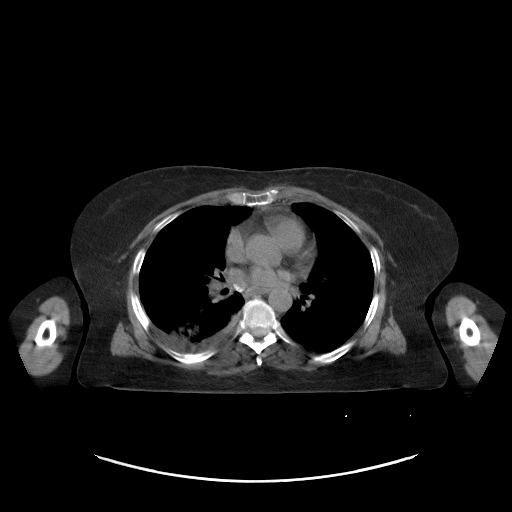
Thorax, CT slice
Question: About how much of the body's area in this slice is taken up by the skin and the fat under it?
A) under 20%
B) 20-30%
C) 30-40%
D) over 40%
Answer: D) over 40%
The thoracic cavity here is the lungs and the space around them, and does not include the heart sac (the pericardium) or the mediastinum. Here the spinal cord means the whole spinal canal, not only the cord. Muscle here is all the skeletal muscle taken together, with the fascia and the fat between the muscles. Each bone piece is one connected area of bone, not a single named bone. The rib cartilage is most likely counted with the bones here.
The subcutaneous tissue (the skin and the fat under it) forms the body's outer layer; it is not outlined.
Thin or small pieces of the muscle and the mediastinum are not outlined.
spinal cord: (255, 328) (261, 328) (263, 330) (263, 331) (265, 333) (265, 334) (260, 339) (256, 339) (253, 336) (253, 335) (251, 333) (251, 331) (253, 329) (254, 329)
left arm: (454, 280) (461, 280) (467, 282) (482, 290) (494, 298) (504, 308) (505, 311) (500, 331) (493, 346) (493, 349) (491, 350) (492, 351) (489, 360) (476, 385) (467, 396) (463, 393) (457, 384) (450, 363) (443, 351) (441, 344) (430, 322) (433, 302) (436, 295) (445, 284)
bones 1: (253, 298) (259, 298) (263, 300) (273, 309) (275, 317) (293, 341) (293, 343) (290, 344) (279, 339) (275, 343) (264, 348) (260, 353) (260, 366) (257, 365) (257, 355) (255, 351) (246, 344) (238, 342) (237, 339) (233, 337) (235, 328) (242, 318) (241, 309) (244, 303) with a hole at (255, 328) (261, 328) (263, 330) (263, 331) (265, 333) (265, 334) (260, 339) (256, 339) (253, 336) (253, 335) (251, 333) (251, 331) (253, 329) (254, 329)
bones 2: (272, 188) (276, 188) (278, 189) (279, 191) (279, 195) (277, 199) (270, 203) (264, 204) (263, 205) (249, 206) (248, 205) (232, 204) (225, 198) (225, 195) (227, 193) (230, 193) (231, 192) (246, 192) (247, 193) (255, 194) (256, 193) (260, 193) (266, 191)
bones 3: (466, 316) (471, 318) (476, 323) (480, 331) (480, 342) (479, 344) (476, 346) (468, 346) (467, 345) (465, 345) (465, 344) (461, 340) (460, 338) (460, 336) (459, 335) (459, 331) (458, 330) (458, 326) (461, 321) (461, 318) (463, 317) (465, 317)
bones 4: (49, 318) (54, 318) (55, 319) (55, 323) (56, 324) (56, 338) (53, 342) (53, 343) (50, 346) (45, 346) (44, 347) (41, 347) (35, 344) (35, 342) (34, 341) (34, 337) (37, 332) (37, 329) (40, 323) (43, 320) (45, 319) (48, 319)
bones 5: (164, 348) (170, 348) (175, 351) (177, 351) (178, 352) (182, 352) (183, 353) (197, 353) (198, 352) (201, 352) (208, 349) (212, 349) (215, 351) (215, 353) (209, 358) (201, 362) (198, 362) (197, 363) (192, 363) (191, 364) (186, 364) (174, 359) (164, 350)
bones 6: (349, 340) (355, 340) (355, 343) (345, 354) (336, 360) (330, 363) (321, 363) (320, 362) (318, 362) (317, 361) (313, 361) (312, 360) (312, 358) (311, 357) (312, 355) (314, 354) (322, 354) (323, 353) (327, 353) (328, 352) (330, 352) (336, 349) (338, 347) (341, 346)
bones 7: (131, 291) (134, 292) (138, 295) (140, 303) (145, 313) (150, 320) (150, 324) (148, 327) (148, 330) (147, 331) (146, 331) (144, 329) (144, 328) (142, 326) (140, 322) (137, 319) (133, 311) (133, 308) (131, 304) (131, 299) (130, 298) (130, 292)
bones 8: (375, 292) (377, 292) (379, 295) (379, 298) (378, 299) (378, 304) (377, 305) (377, 308) (376, 309) (375, 314) (372, 320) (370, 322) (369, 325) (366, 328) (364, 328) (363, 326) (363, 322) (366, 316) (366, 314) (368, 311) (369, 306) (371, 303) (373, 294)
bones 9: (141, 248) (144, 248) (146, 251) (145, 252) (145, 254) (144, 255) (144, 257) (143, 258) (143, 260) (142, 261) (142, 263) (139, 270) (139, 273) (138, 275) (137, 275) (136, 274) (133, 274) (132, 272) (132, 267) (133, 266) (133, 262) (134, 261) (135, 256) (138, 250)
bones 10: (177, 211) (181, 211) (182, 212) (179, 215) (178, 215) (170, 222) (169, 222) (166, 225) (165, 225) (159, 231) (158, 231) (156, 233) (154, 233) (153, 232) (153, 228) (154, 227) (154, 226) (159, 221) (160, 221) (166, 216) (167, 216) (174, 212) (176, 212)
bones 11: (372, 245) (374, 246) (377, 250) (377, 252) (378, 253) (378, 256) (379, 257) (379, 262) (380, 263) (380, 269) (379, 270) (379, 273) (376, 276) (375, 276) (374, 274) (374, 270) (373, 269) (373, 264) (372, 263) (371, 256) (369, 252) (369, 248) (370, 246)
bones 12: (334, 209) (335, 209) (336, 210) (338, 210) (339, 211) (342, 212) (344, 214) (345, 214) (353, 222) (354, 222) (356, 224) (356, 225) (360, 230) (360, 232) (361, 233) (361, 234) (360, 235) (358, 235) (345, 222) (344, 222) (337, 215) (336, 215) (333, 212) (333, 210)
pericardium: (271, 204) (290, 205) (290, 211) (299, 216) (315, 236) (317, 255) (307, 278) (295, 285) (290, 286) (280, 285) (275, 287) (250, 287) (237, 282) (232, 279) (228, 274) (225, 259) (226, 240) (230, 228) (232, 226) (235, 226) (247, 220) (254, 210)
mediastinum 1: (234, 281) (250, 288) (275, 288) (280, 286) (290, 287) (299, 284) (298, 286) (299, 293) (297, 294) (297, 297) (295, 298) (289, 309) (279, 320) (276, 317) (276, 313) (274, 309) (263, 299) (259, 297) (253, 297) (245, 301) (244, 297) (238, 290) (238, 287) (234, 283)
mediastinum 2: (278, 200) (293, 200) (294, 201) (298, 201) (295, 201) (294, 202) (293, 202) (292, 203) (292, 204) (291, 205) (291, 208) (292, 209) (292, 211) (291, 211) (291, 205) (289, 203) (271, 203) (272, 203) (273, 202) (274, 202) (275, 201) (277, 201)
thoracic cavity 1: (216, 204) (248, 206) (251, 209) (247, 217) (229, 228) (224, 245) (225, 271) (233, 280) (244, 300) (240, 309) (241, 318) (233, 330) (211, 347) (197, 352) (178, 351) (168, 347) (154, 331) (151, 320) (139, 296) (140, 270) (146, 252) (158, 232) (182, 213) (192, 208)
thoracic cavity 2: (299, 201) (310, 202) (323, 207) (345, 223) (359, 237) (368, 250) (374, 275) (373, 293) (361, 325) (347, 341) (330, 351) (322, 353) (316, 353) (294, 341) (280, 321) (298, 297) (300, 284) (308, 281) (308, 276) (318, 255) (316, 236) (313, 230) (293, 211) (293, 203)
muscle 1: (276, 184) (316, 191) (355, 213) (379, 235) (397, 264) (394, 266) (386, 257) (384, 262) (386, 311) (391, 307) (405, 337) (406, 351) (398, 355) (380, 350) (361, 359) (335, 362) (319, 366) (311, 371) (261, 366) (262, 351) (279, 340) (290, 345) (296, 342) (315, 353) (310, 357) (313, 362) (330, 364) (336, 361) (354, 346) (356, 340) (349, 339) (360, 326) (366, 329) (370, 325) (380, 298) (379, 293) (374, 292) (374, 279) (381, 269) (379, 253) (372, 244) (366, 247) (357, 224) (335, 208) (332, 211) (310, 201) (278, 199) (280, 191) (272, 187) (255, 193) (227, 192) (224, 195) (226, 203) (202, 204) (163, 217) (153, 226) (155, 235) (147, 249) (139, 248) (134, 256) (131, 272) (138, 276) (138, 294) (129, 292) (136, 319) (146, 332) (151, 324) (157, 337) (167, 346) (163, 350) (174, 360) (186, 365) (201, 363) (216, 353) (210, 348) (233, 331) (232, 337) (238, 343) (254, 351) (259, 367) (220, 376) (138, 356) (113, 355) (110, 343) (115, 328) (119, 321) (128, 321) (125, 289) (130, 257) (121, 262) (118, 259) (143, 227) (167, 208) (201, 193) (235, 186) (261, 190)
muscle 2: (56, 295) (62, 297) (67, 302) (70, 312) (70, 323) (69, 324) (70, 332) (67, 345) (61, 362) (53, 371) (45, 375) (33, 376) (28, 373) (22, 359) (22, 356) (17, 347) (22, 343) (25, 337) (27, 328) (33, 319) (38, 314) (37, 310) (38, 306) (47, 298) with a hole at (49, 318) (54, 318) (55, 319) (55, 323) (56, 324) (56, 338) (53, 342) (53, 343) (50, 346) (45, 346) (44, 347) (41, 347) (35, 344) (35, 342) (34, 341) (34, 337) (37, 332) (37, 329) (40, 323) (43, 320) (45, 319) (48, 319)
muscle 3: (455, 294) (462, 294) (473, 300) (477, 301) (480, 311) (494, 333) (497, 336) (497, 339) (493, 346) (493, 349) (491, 350) (492, 351) (489, 360) (487, 362) (485, 368) (477, 382) (474, 381) (466, 372) (460, 354) (450, 335) (449, 329) (445, 319) (445, 305) (448, 299), around a hole outlined by (466, 316) (471, 318) (476, 323) (480, 331) (480, 342) (479, 344) (476, 346) (468, 346) (467, 345) (465, 345) (465, 344) (461, 340) (460, 338) (460, 336) (459, 335) (459, 331) (458, 330) (458, 326) (461, 321) (461, 318) (463, 317) (465, 317)
torso: (186, 164) (245, 170) (352, 168) (403, 181) (435, 199) (452, 219) (459, 239) (456, 263) (429, 294) (424, 310) (447, 368) (444, 385) (428, 390) (401, 387) (279, 394) (176, 393) (82, 386) (76, 370) (90, 316) (70, 263) (74, 222) (86, 203) (111, 183) (143, 170)
right arm: (57, 275) (65, 275) (70, 278) (79, 292) (81, 299) (81, 308) (83, 311) (83, 330) (80, 343) (72, 365) (71, 377) (69, 383) (65, 387) (60, 389) (50, 389) (41, 392) (34, 383) (26, 369) (22, 356) (16, 345) (8, 317) (15, 305) (28, 292) (44, 281)